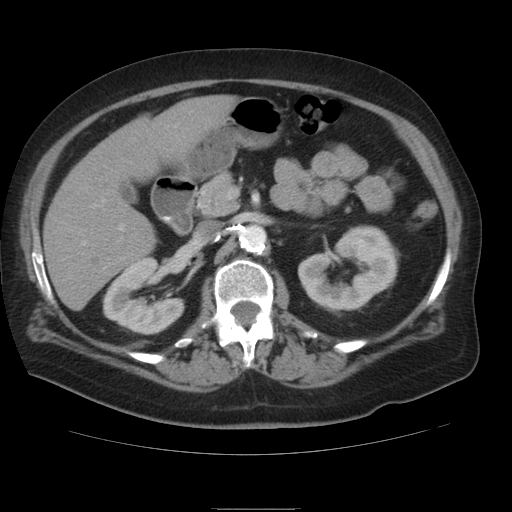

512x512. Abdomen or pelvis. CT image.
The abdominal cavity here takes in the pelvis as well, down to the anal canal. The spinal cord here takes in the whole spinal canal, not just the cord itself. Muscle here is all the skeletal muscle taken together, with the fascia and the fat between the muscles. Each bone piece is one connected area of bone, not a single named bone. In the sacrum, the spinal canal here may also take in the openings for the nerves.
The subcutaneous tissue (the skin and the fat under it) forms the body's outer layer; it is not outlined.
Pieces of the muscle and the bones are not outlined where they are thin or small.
{"bones":[{"outer":[[235,259],[248,259],[259,263],[272,277],[274,285],[271,314],[274,338],[259,339],[256,342],[254,358],[251,366],[247,368],[243,366],[243,347],[238,341],[223,347],[218,342],[218,335],[213,324],[205,328],[200,326],[216,311],[213,284],[217,268]],"hole":[[241,301],[249,301],[250,302],[252,302],[258,305],[259,307],[259,311],[255,315],[255,317],[254,318],[255,319],[255,321],[253,323],[252,323],[248,328],[246,328],[242,325],[236,323],[235,317],[231,312],[231,309],[232,307],[235,304]]},[[32,251],[41,252],[43,256],[43,264],[45,269],[45,273],[49,282],[49,284],[51,287],[51,290],[53,293],[55,303],[52,303],[47,299],[46,296],[42,292],[39,286],[38,280],[34,271],[34,268],[32,263],[32,258],[31,257],[31,253]],[[447,249],[449,249],[451,252],[451,259],[450,260],[449,271],[447,275],[446,281],[441,291],[439,293],[435,300],[429,305],[425,306],[426,301],[428,299],[428,297],[431,292],[432,287],[436,279],[438,271],[444,260],[444,257],[445,256]],[[360,338],[366,338],[367,339],[367,342],[366,344],[362,347],[359,348],[357,350],[355,350],[352,352],[343,353],[342,352],[336,351],[333,348],[333,346],[336,343],[338,343],[341,341],[347,341],[348,340],[353,340],[354,339],[359,339]],[[126,351],[140,351],[141,352],[149,352],[150,353],[157,353],[158,354],[161,354],[163,355],[165,357],[165,358],[162,361],[156,364],[151,364],[150,363],[147,363],[146,362],[139,361],[133,358],[131,356],[127,354]]],"spinal_cord":[[[241,301],[249,301],[250,302],[252,302],[258,305],[259,307],[259,311],[255,315],[255,317],[254,318],[255,319],[255,321],[253,323],[252,323],[248,328],[246,328],[242,325],[236,323],[235,317],[231,312],[231,309],[232,307],[235,304]]],"abdominal_cavity":[[[226,82],[340,98],[388,121],[409,148],[439,199],[445,253],[425,295],[392,328],[347,340],[319,331],[289,311],[280,272],[274,269],[273,279],[248,258],[205,277],[197,316],[156,352],[95,338],[60,307],[44,264],[40,213],[64,147],[106,113]]],"torso":[[[223,47],[302,49],[358,60],[398,77],[432,109],[470,179],[482,219],[474,294],[480,353],[467,377],[417,399],[387,404],[367,416],[344,422],[211,429],[124,413],[28,373],[6,313],[0,240],[8,190],[29,136],[60,101],[110,70],[159,54]]],"muscle":[{"outer":[[223,78],[280,79],[325,86],[335,90],[351,94],[358,98],[388,109],[407,119],[425,135],[435,148],[445,168],[452,183],[455,195],[462,213],[462,229],[459,243],[459,255],[457,260],[454,263],[454,270],[451,276],[452,277],[451,280],[449,282],[450,286],[445,298],[444,309],[446,313],[446,322],[445,323],[446,329],[442,333],[433,338],[418,341],[411,345],[400,348],[394,352],[389,353],[374,362],[366,365],[362,369],[347,378],[332,385],[317,388],[305,388],[304,389],[295,388],[283,385],[279,381],[272,379],[253,370],[247,371],[241,377],[223,385],[217,390],[205,393],[180,391],[133,373],[127,372],[123,369],[103,363],[60,345],[51,342],[34,342],[30,340],[26,335],[26,327],[29,322],[28,320],[29,317],[36,305],[35,304],[40,297],[37,291],[37,288],[34,283],[28,278],[27,275],[26,266],[24,261],[24,255],[19,243],[18,228],[19,227],[19,213],[21,208],[23,194],[27,183],[42,155],[61,136],[78,122],[101,108],[130,95],[176,82],[200,79],[222,79]],"holes":[[[226,82],[331,95],[391,124],[443,212],[451,259],[434,301],[425,306],[431,286],[392,328],[343,353],[333,348],[340,338],[289,311],[288,287],[274,269],[274,338],[256,342],[246,368],[238,341],[223,347],[213,324],[200,326],[216,311],[213,275],[203,280],[199,312],[181,334],[192,342],[157,351],[165,358],[156,364],[85,333],[55,298],[55,303],[47,299],[31,253],[42,251],[40,213],[64,147],[106,113]],[[305,330],[314,330],[315,331],[316,331],[317,332],[317,337],[316,338],[308,338],[307,337],[305,337],[304,336],[303,336],[301,334],[301,332],[302,331],[304,331]]]}]}